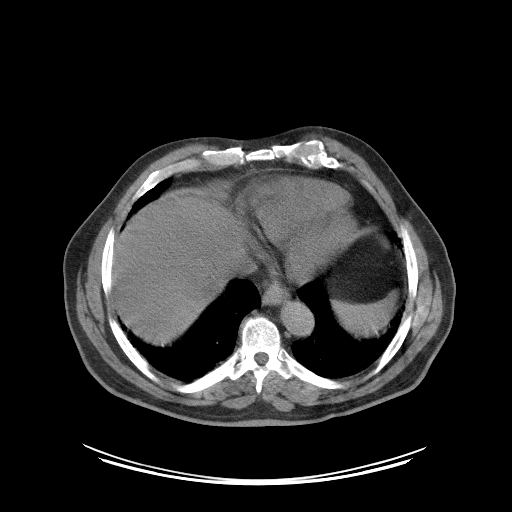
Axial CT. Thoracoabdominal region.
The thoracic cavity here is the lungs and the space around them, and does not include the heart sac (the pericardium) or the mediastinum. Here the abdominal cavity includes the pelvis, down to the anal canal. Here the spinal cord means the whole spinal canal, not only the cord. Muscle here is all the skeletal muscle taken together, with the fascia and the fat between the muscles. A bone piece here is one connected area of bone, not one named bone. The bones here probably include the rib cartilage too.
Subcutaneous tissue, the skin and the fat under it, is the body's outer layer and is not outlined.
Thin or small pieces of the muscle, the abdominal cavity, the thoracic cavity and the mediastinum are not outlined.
Outlines:
abdominal cavity 1: [[236,180],[228,194],[227,207],[239,223],[242,241],[255,264],[254,270],[232,279],[223,295],[205,309],[181,339],[170,345],[154,345],[143,341],[118,319],[110,294],[114,242],[120,227],[124,227],[125,218],[127,220],[140,208],[155,200],[161,192]]
abdominal cavity 2: [[371,231],[378,234],[383,234],[387,231],[386,233],[389,239],[402,248],[407,278],[407,296],[404,307],[397,312],[389,325],[373,335],[359,339],[352,337],[336,322],[330,309],[328,296],[322,284],[322,274],[348,251],[353,241],[356,242],[364,234]]
thoracic cavity 1: [[236,278],[249,280],[255,286],[259,295],[260,304],[242,318],[239,325],[240,341],[232,353],[220,364],[191,381],[183,382],[152,367],[132,344],[118,321],[119,320],[128,331],[147,344],[154,346],[170,346],[186,335],[206,309],[224,295],[228,284]]
thoracic cavity 2: [[318,278],[321,278],[321,284],[335,322],[354,339],[359,340],[377,334],[389,326],[398,312],[404,308],[395,333],[375,361],[354,374],[336,379],[317,374],[300,363],[287,350],[291,349],[293,342],[308,338],[314,331],[316,316],[300,299],[298,290]]
thoracic cavity 3: [[169,177],[171,179],[171,182],[169,185],[165,188],[165,189],[160,192],[159,195],[155,199],[153,199],[151,201],[149,201],[140,207],[139,209],[135,211],[127,219],[126,219],[126,216],[128,212],[131,209],[133,203],[160,182]]
thoracic cavity 4: [[394,230],[395,231],[396,231],[396,232],[397,233],[397,235],[400,238],[400,239],[401,240],[401,244],[402,245],[402,247],[400,247],[395,242],[392,241],[392,240],[391,239],[390,239],[390,238],[387,233],[388,232],[388,231],[393,231]]
pericardium: [[266,168],[294,169],[338,180],[350,190],[359,211],[360,227],[353,235],[351,245],[347,251],[338,257],[321,275],[301,286],[295,286],[280,271],[269,263],[259,258],[250,257],[246,244],[243,241],[240,223],[228,207],[229,194],[238,179],[254,170]]
mediastinum 1: [[281,159],[310,169],[341,169],[353,174],[381,206],[393,224],[393,230],[383,233],[371,230],[356,241],[353,240],[361,227],[361,217],[351,190],[333,177],[294,168],[254,169],[235,180],[163,192],[172,182],[170,177],[174,174],[219,170],[254,161]]
mediastinum 2: [[251,258],[269,264],[295,287],[300,287],[297,290],[297,296],[315,316],[311,335],[293,341],[290,349],[286,349],[282,344],[277,325],[264,315],[248,316],[243,320],[240,327],[243,318],[261,304],[256,286],[249,279],[237,277],[255,270],[256,264]]
spinal cord: [[259,352],[263,352],[264,353],[265,353],[268,356],[268,359],[266,361],[266,362],[264,364],[259,364],[254,359],[254,356],[255,355],[255,354],[256,354],[257,353],[258,353]]
muscle: [[310,133],[336,139],[360,155],[382,181],[398,212],[414,228],[427,253],[429,269],[436,273],[441,288],[443,313],[435,334],[400,373],[375,391],[336,403],[296,404],[289,411],[278,410],[262,399],[240,409],[219,404],[181,404],[157,398],[121,376],[101,357],[78,320],[78,272],[86,270],[99,230],[130,184],[150,163],[191,143],[224,148],[204,149],[198,157],[186,157],[151,171],[132,195],[131,207],[115,237],[115,228],[110,226],[102,247],[101,286],[104,296],[110,295],[117,317],[108,313],[107,322],[133,365],[157,384],[161,380],[152,368],[182,382],[170,383],[171,389],[181,394],[201,392],[226,378],[234,381],[251,371],[254,389],[259,394],[271,371],[285,380],[296,377],[321,389],[343,389],[348,383],[337,379],[354,375],[375,362],[364,376],[366,380],[397,353],[413,324],[413,314],[404,311],[406,301],[408,306],[413,305],[418,289],[418,261],[413,241],[403,223],[398,231],[395,229],[372,195],[373,187],[352,173],[352,165],[346,166],[329,155],[320,139],[299,140]]
torso: [[303,125],[339,129],[373,147],[444,242],[456,284],[454,317],[451,329],[424,378],[411,391],[355,413],[317,423],[289,426],[198,424],[142,407],[110,393],[84,366],[66,319],[62,264],[73,233],[123,172],[139,156],[156,146],[197,136],[261,137]]
bones 1: [[258,315],[276,325],[281,344],[300,364],[317,375],[347,383],[345,387],[321,388],[296,376],[285,379],[271,370],[258,393],[256,378],[247,370],[234,380],[226,377],[201,391],[181,393],[172,389],[171,383],[191,382],[225,361],[240,344],[244,320]]; inner edge: [[259,352],[263,352],[264,353],[265,353],[268,356],[268,359],[266,361],[266,362],[264,364],[259,364],[254,359],[254,356],[255,355],[255,354],[256,354],[257,353],[258,353]]
bones 2: [[311,139],[320,140],[328,155],[346,167],[352,166],[352,172],[341,168],[310,168],[297,159],[288,162],[281,158],[219,169],[209,169],[210,166],[204,164],[201,170],[174,173],[131,201],[151,172],[186,158],[198,158],[204,150],[240,146],[247,153]]
bones 3: [[108,314],[110,314],[111,316],[119,323],[120,327],[126,334],[126,336],[131,344],[147,361],[151,367],[151,370],[159,378],[160,380],[160,383],[157,383],[147,377],[143,373],[142,373],[128,358],[123,350],[120,347],[111,330],[111,328],[108,322]]
bones 4: [[401,224],[403,224],[408,231],[412,241],[417,261],[417,271],[418,272],[417,289],[416,290],[415,298],[413,300],[411,306],[408,305],[407,303],[408,278],[407,277],[407,270],[406,269],[406,260],[404,255],[402,240],[397,232],[400,230],[400,225]]
bones 5: [[403,312],[406,312],[407,314],[408,313],[411,313],[412,314],[412,324],[410,326],[409,330],[401,346],[392,358],[377,373],[366,379],[364,379],[365,376],[370,371],[370,370],[371,370],[376,365],[376,360],[385,350],[396,333],[398,327],[401,322]]
bones 6: [[110,227],[113,227],[114,228],[114,241],[113,242],[113,253],[112,254],[112,259],[111,260],[111,290],[108,296],[106,297],[104,294],[104,291],[102,286],[102,282],[101,281],[101,259],[102,258],[102,252],[103,251],[103,247],[105,243],[106,236]]
bones 7: [[361,179],[362,180],[365,180],[372,187],[372,188],[374,190],[374,194],[372,194],[371,193],[370,193],[370,192],[369,191],[368,191],[368,190],[360,182],[360,180]]